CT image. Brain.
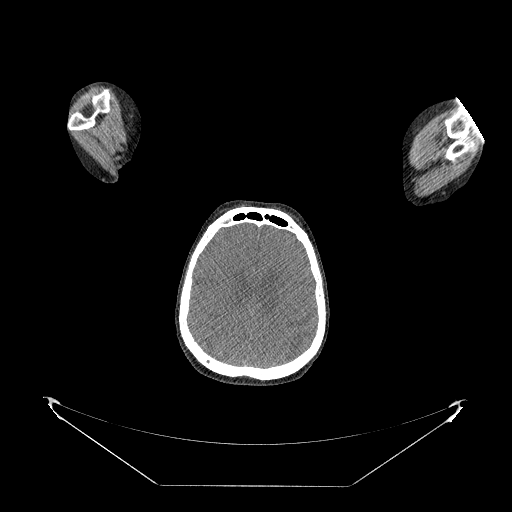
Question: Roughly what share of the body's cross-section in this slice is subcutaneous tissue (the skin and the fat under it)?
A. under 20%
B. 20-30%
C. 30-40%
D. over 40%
Answer: A. under 20%
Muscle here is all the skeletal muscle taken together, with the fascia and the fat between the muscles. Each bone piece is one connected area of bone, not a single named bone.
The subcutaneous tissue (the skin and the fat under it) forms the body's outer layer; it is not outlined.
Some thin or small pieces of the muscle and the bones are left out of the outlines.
{"head":[[[235,199],[281,202],[293,207],[309,225],[321,256],[330,303],[330,325],[327,340],[313,365],[299,379],[292,382],[273,386],[250,386],[228,384],[208,378],[192,367],[180,349],[176,338],[174,326],[176,291],[188,251],[202,224],[212,211],[218,205]]],"left_arm":[[[456,96],[460,99],[462,104],[470,114],[482,134],[484,140],[484,147],[480,160],[468,181],[447,199],[432,204],[416,206],[406,199],[403,189],[402,183],[402,150],[401,149],[404,134],[407,127],[414,117],[423,109],[438,101],[448,98],[454,98]]],"bones":[{"outer":[[242,205],[277,208],[288,213],[307,233],[314,248],[322,276],[326,304],[326,324],[321,345],[315,355],[303,367],[292,374],[276,379],[260,380],[248,376],[231,377],[208,369],[186,347],[179,330],[180,294],[188,262],[196,244],[212,221],[228,209]],"hole":[[244,223],[254,224],[258,228],[263,225],[272,226],[291,233],[304,250],[310,273],[314,281],[313,295],[316,323],[309,344],[293,358],[264,367],[251,364],[234,364],[218,359],[208,353],[194,337],[188,321],[193,287],[193,274],[201,254],[221,229]]},[[458,107],[461,107],[464,109],[472,118],[473,122],[469,128],[467,135],[463,139],[464,141],[466,141],[468,143],[470,146],[470,149],[465,153],[459,155],[453,162],[444,158],[445,152],[454,141],[447,135],[444,123],[445,118],[452,115]],[[102,89],[108,89],[109,90],[109,93],[110,94],[110,110],[106,113],[100,114],[96,118],[95,124],[88,129],[69,130],[67,128],[67,120],[69,116],[76,111],[80,111],[85,116],[92,115],[94,111],[92,107],[91,97],[93,95],[100,92]]],"muscle":[[[462,104],[466,110],[458,106],[452,114],[444,118],[446,135],[453,141],[444,152],[443,158],[454,163],[459,156],[471,149],[464,139],[470,131],[473,119],[484,142],[461,175],[429,195],[416,197],[411,185],[408,161],[410,137],[419,125],[434,114]],[[96,85],[111,86],[133,113],[133,125],[127,153],[115,177],[110,176],[95,163],[78,144],[70,131],[92,128],[100,115],[106,114],[111,110],[110,90],[102,88],[90,97],[92,114],[85,115],[80,110],[76,110],[69,115],[70,106],[80,94]]],"right_arm":[[[97,80],[109,81],[123,88],[133,98],[141,116],[141,131],[139,141],[133,152],[131,160],[119,170],[119,179],[116,183],[113,184],[108,184],[97,179],[82,166],[70,143],[66,129],[68,119],[67,116],[68,105],[72,95],[80,87],[90,82]]],"brain":[[[244,223],[254,224],[258,228],[263,225],[272,226],[291,233],[304,250],[310,273],[314,281],[313,295],[316,323],[309,344],[293,358],[264,367],[251,364],[234,364],[218,359],[208,353],[194,337],[188,321],[193,287],[193,274],[201,254],[221,229]]]}